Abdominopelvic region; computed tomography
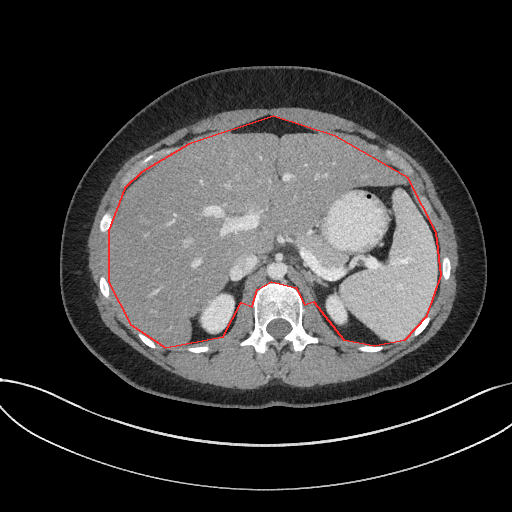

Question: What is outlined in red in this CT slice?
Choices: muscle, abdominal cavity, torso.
Answer: red: abdominal cavity.
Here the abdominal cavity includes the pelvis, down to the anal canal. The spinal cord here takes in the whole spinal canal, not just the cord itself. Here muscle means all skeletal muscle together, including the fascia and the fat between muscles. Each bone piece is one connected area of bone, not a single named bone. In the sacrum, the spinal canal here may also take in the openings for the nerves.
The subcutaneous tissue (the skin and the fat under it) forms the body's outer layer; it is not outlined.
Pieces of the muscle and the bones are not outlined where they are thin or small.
Outlines (x, y in pixels):
abdominal cavity: (165, 347) (223, 336) (241, 302) (252, 306) (257, 289) (271, 281) (295, 287) (304, 304) (313, 301) (343, 339) (374, 345) (405, 339) (427, 315) (441, 275) (436, 232) (408, 178) (335, 136) (273, 116) (188, 144) (141, 172) (124, 188) (108, 230) (108, 282) (130, 324)
bones 1: (257, 353) (265, 352) (269, 345) (280, 350) (288, 343) (294, 351) (300, 352) (307, 344) (317, 343) (319, 340) (308, 334) (303, 328) (304, 309) (301, 297) (297, 290) (288, 284) (271, 282) (260, 287) (255, 294) (253, 301) (254, 328) (239, 344) (241, 346) (252, 345) with a hole at (277, 339) (280, 339) (281, 338) (282, 338) (288, 332) (289, 332) (291, 329) (291, 326) (289, 324) (289, 323) (287, 321) (286, 321) (283, 319) (276, 319) (275, 320) (273, 320) (272, 321) (271, 321) (268, 324) (268, 325) (267, 326) (267, 331) (271, 335) (272, 335)
bones 2: (123, 186) (126, 185) (134, 177) (135, 177) (150, 161) (153, 159) (155, 159) (159, 157) (161, 155) (168, 153) (170, 151) (173, 150) (174, 148) (163, 148) (162, 149) (160, 149) (136, 162) (136, 163) (134, 164) (134, 165) (128, 171) (127, 171) (122, 177) (120, 182)
bones 3: (410, 173) (413, 173) (413, 169) (411, 167) (411, 166) (409, 164) (408, 164) (402, 157) (398, 155) (395, 152) (389, 149) (386, 149) (384, 151) (385, 154) (388, 157) (389, 157) (390, 159) (391, 159) (395, 163) (396, 163) (401, 167) (403, 167) (405, 169) (407, 169)
bones 4: (101, 232) (105, 232) (109, 228) (109, 227) (110, 226) (110, 225) (111, 224) (111, 222) (112, 221) (112, 214) (109, 211) (107, 211) (102, 216) (102, 217) (101, 218) (101, 219) (100, 220) (100, 222) (99, 223) (99, 230)
bones 5: (366, 352) (373, 352) (374, 351) (378, 351) (379, 350) (381, 350) (382, 349) (383, 349) (385, 347) (385, 346) (383, 346) (382, 345) (378, 345) (377, 346) (374, 346) (373, 345) (361, 345) (358, 347) (358, 349) (361, 351) (365, 351)
bones 6: (413, 336) (416, 336) (417, 335) (418, 335) (426, 327) (426, 326) (428, 324) (428, 323) (430, 320) (430, 317) (429, 316) (426, 316) (424, 318) (424, 319) (423, 320) (422, 320) (422, 321) (418, 325) (418, 326) (414, 330) (414, 331) (412, 334) (412, 335)
bones 7: (152, 348) (155, 348) (156, 347) (156, 345) (150, 339) (149, 339) (146, 336) (145, 336) (143, 334) (142, 334) (141, 333) (140, 333) (139, 332) (138, 333) (138, 336) (139, 337) (139, 338) (146, 345) (147, 345) (148, 346) (149, 346) (150, 347) (151, 347)
torso: (240, 409) (316, 407) (409, 385) (457, 351) (483, 305) (487, 284) (483, 230) (458, 172) (396, 103) (375, 88) (330, 70) (298, 65) (238, 66) (207, 72) (170, 88) (139, 110) (104, 145) (78, 182) (66, 212) (60, 243) (60, 292) (67, 318) (83, 344) (143, 392)
spinal cord: (277, 339) (280, 339) (281, 338) (282, 338) (288, 332) (289, 332) (291, 329) (291, 326) (289, 324) (289, 323) (287, 321) (286, 321) (283, 319) (276, 319) (275, 320) (273, 320) (272, 321) (271, 321) (268, 324) (268, 325) (267, 326) (267, 331) (271, 335) (272, 335)
muscle: (237, 389) (254, 389) (266, 385) (270, 381) (274, 379) (277, 379) (279, 382) (285, 383) (291, 386) (295, 386) (296, 387) (311, 387) (315, 385) (324, 385) (329, 383) (344, 382) (345, 381) (357, 379) (360, 377) (363, 377) (378, 371) (382, 368) (391, 364) (402, 356) (416, 349) (422, 344) (425, 343) (437, 332) (450, 313) (452, 308) (452, 304) (456, 295) (456, 275) (455, 272) (458, 264) (456, 236) (451, 220) (437, 194) (429, 174) (414, 158) (405, 151) (396, 145) (390, 143) (387, 140) (371, 130) (351, 120) (348, 120) (331, 113) (309, 109) (308, 108) (302, 108) (301, 107) (275, 107) (269, 109) (266, 108) (244, 108) (243, 109) (235, 109) (228, 111) (222, 111) (208, 117) (202, 118) (192, 124) (182, 127) (162, 138) (145, 149) (131, 156) (124, 162) (115, 174) (100, 200) (88, 236) (87, 250) (89, 253) (88, 267) (91, 272) (91, 276) (94, 282) (95, 290) (96, 291) (96, 293) (94, 295) (94, 299) (103, 322) (112, 332) (137, 351) (164, 369) (179, 375) (186, 379) (192, 380) (196, 382) (209, 383) (222, 387) (236, 388); inner edges: (257, 353) (265, 352) (269, 345) (280, 350) (288, 343) (300, 352) (307, 344) (318, 342) (302, 326) (303, 305) (308, 299) (337, 336) (362, 343) (358, 347) (361, 351) (378, 351) (411, 334) (416, 336) (430, 320) (427, 313) (438, 293) (440, 276) (447, 280) (451, 268) (447, 256) (440, 261) (437, 235) (427, 217) (431, 205) (421, 196) (427, 211) (422, 211) (406, 176) (335, 136) (273, 116) (188, 144) (142, 172) (150, 161) (174, 148) (160, 149) (139, 160) (120, 181) (125, 187) (118, 213) (113, 220) (107, 211) (99, 223) (101, 232) (108, 231) (108, 279) (100, 277) (99, 289) (106, 298) (112, 295) (146, 345) (208, 351) (208, 346) (196, 345) (227, 333) (245, 299) (252, 303) (254, 328) (239, 344) (252, 345), then (410, 173) (413, 173) (413, 169) (411, 167) (411, 166) (409, 164) (408, 164) (402, 157) (398, 155) (395, 152) (389, 149) (386, 149) (384, 151) (385, 154) (388, 157) (389, 157) (390, 159) (391, 159) (395, 163) (396, 163) (401, 167) (403, 167) (405, 169) (407, 169)